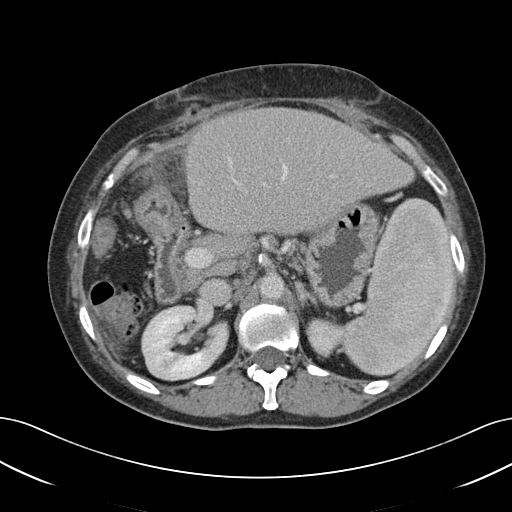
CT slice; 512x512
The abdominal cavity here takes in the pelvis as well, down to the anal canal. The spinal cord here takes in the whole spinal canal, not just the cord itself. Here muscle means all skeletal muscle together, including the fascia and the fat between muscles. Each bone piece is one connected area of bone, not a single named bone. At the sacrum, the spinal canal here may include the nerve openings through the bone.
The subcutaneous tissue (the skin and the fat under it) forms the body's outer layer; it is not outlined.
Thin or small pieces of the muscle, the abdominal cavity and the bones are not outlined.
{"bones":[[[260,303],[271,303],[282,306],[290,314],[295,324],[299,339],[297,347],[294,350],[289,351],[289,356],[286,357],[284,355],[283,351],[273,346],[267,345],[254,352],[251,357],[242,348],[239,343],[238,339],[239,326],[238,325],[240,318],[244,312]],[[252,361],[256,363],[259,368],[267,372],[273,371],[285,362],[287,362],[290,365],[288,374],[279,381],[275,389],[275,397],[278,404],[276,409],[267,410],[263,408],[262,403],[265,396],[264,389],[258,382],[249,378],[246,373],[246,369]],[[392,133],[394,133],[404,137],[413,145],[416,151],[420,155],[423,160],[429,166],[430,166],[432,170],[445,184],[447,188],[447,195],[445,196],[441,196],[435,191],[434,188],[424,178],[420,170],[414,163],[411,157],[394,141],[393,138],[390,134]],[[133,147],[135,147],[139,150],[139,152],[137,154],[137,155],[125,168],[122,174],[114,183],[113,186],[105,191],[103,190],[102,189],[102,182],[106,178],[108,174],[113,169],[114,166],[117,163],[117,162],[126,153],[126,152],[128,150],[129,150]],[[90,208],[96,209],[96,212],[93,218],[92,224],[91,225],[91,229],[90,230],[90,233],[89,234],[89,241],[88,242],[88,245],[83,249],[81,249],[77,244],[77,235],[78,234],[78,230],[80,226],[80,223],[83,217],[85,215],[86,212]],[[450,233],[453,233],[456,236],[462,250],[462,253],[464,258],[464,262],[465,263],[465,265],[464,266],[464,271],[462,274],[459,273],[457,271],[456,269],[456,266],[454,263],[454,260],[452,256],[452,251],[450,246]],[[127,373],[134,373],[135,374],[136,374],[137,375],[138,375],[139,376],[148,380],[150,382],[151,382],[160,391],[159,394],[153,394],[152,393],[149,393],[148,392],[143,391],[142,390],[137,388],[131,383],[130,383],[126,379],[125,376]],[[443,323],[445,323],[447,325],[447,331],[443,339],[441,341],[440,344],[438,346],[436,350],[428,358],[425,359],[424,358],[424,354],[428,346],[430,344],[432,339],[434,337],[436,332],[438,330],[440,326]],[[80,305],[84,305],[87,309],[87,311],[88,312],[89,317],[91,320],[91,322],[92,323],[92,325],[94,329],[94,333],[96,336],[96,340],[95,341],[94,341],[86,332],[79,319],[79,314],[78,313],[78,310],[79,309],[79,306]],[[379,379],[388,379],[389,380],[389,384],[388,385],[388,386],[384,390],[383,390],[382,391],[381,391],[376,394],[369,394],[368,393],[366,393],[363,391],[363,387],[366,384],[367,384],[369,382],[370,382],[371,381],[373,381],[374,380],[378,380]]],"torso":[[[279,62],[324,63],[355,70],[412,105],[435,125],[470,188],[482,224],[485,273],[473,317],[447,364],[425,388],[353,423],[320,429],[207,430],[152,418],[96,386],[78,365],[63,336],[51,305],[46,269],[59,205],[98,137],[128,110],[210,73]]],"muscle":[{"outer":[[273,96],[355,100],[383,112],[421,143],[455,192],[470,251],[467,290],[459,319],[447,345],[431,364],[395,391],[361,409],[333,417],[304,416],[277,409],[277,386],[291,368],[286,358],[299,345],[311,361],[305,364],[309,374],[324,377],[334,373],[367,380],[362,391],[369,395],[384,391],[389,378],[422,354],[428,359],[448,331],[444,320],[454,297],[456,270],[462,275],[466,263],[457,236],[448,231],[438,197],[447,196],[448,188],[404,136],[389,134],[411,160],[390,142],[321,106],[301,101],[268,102],[220,115],[210,119],[189,140],[145,157],[111,190],[97,212],[93,207],[85,212],[76,235],[77,246],[81,250],[87,247],[82,275],[86,306],[78,306],[78,319],[94,342],[95,330],[111,356],[133,372],[124,377],[134,387],[159,395],[161,391],[152,382],[165,386],[189,382],[211,385],[218,377],[212,374],[234,357],[239,344],[251,358],[245,373],[263,389],[262,410],[224,418],[183,413],[136,393],[93,360],[70,292],[67,250],[75,221],[99,169],[132,138],[170,122],[192,104]],"hole":[[133,147],[135,147],[139,150],[139,152],[137,154],[137,155],[125,168],[122,174],[114,183],[113,186],[105,191],[103,190],[102,189],[102,182],[106,178],[108,174],[113,169],[114,166],[117,163],[117,162],[126,153],[126,152],[128,150],[129,150]]}],"abdominal_cavity":[[[274,102],[321,107],[413,162],[437,194],[449,233],[449,309],[425,351],[388,378],[348,377],[314,364],[291,314],[260,302],[239,318],[236,351],[219,369],[177,385],[150,381],[112,356],[90,317],[83,275],[94,218],[151,154],[189,141],[210,120]]],"spinal_cord":[[[267,346],[270,346],[271,347],[273,347],[283,352],[283,355],[285,357],[285,361],[281,365],[278,365],[273,370],[271,371],[267,371],[259,367],[259,365],[256,362],[252,360],[252,358],[253,357],[254,353],[255,353],[260,349],[264,347],[266,347]]]}